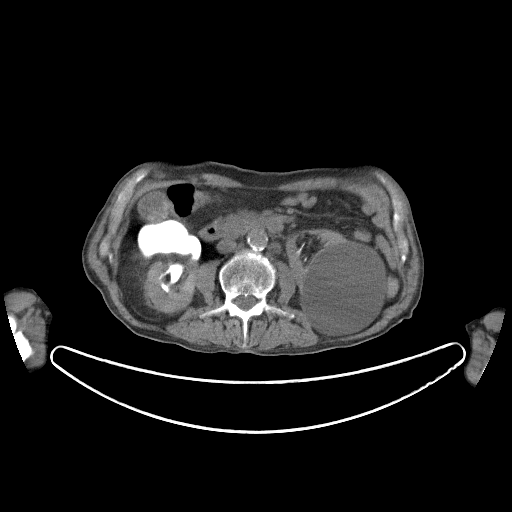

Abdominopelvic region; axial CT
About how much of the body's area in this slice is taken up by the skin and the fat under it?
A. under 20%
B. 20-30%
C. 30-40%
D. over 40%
A. under 20%
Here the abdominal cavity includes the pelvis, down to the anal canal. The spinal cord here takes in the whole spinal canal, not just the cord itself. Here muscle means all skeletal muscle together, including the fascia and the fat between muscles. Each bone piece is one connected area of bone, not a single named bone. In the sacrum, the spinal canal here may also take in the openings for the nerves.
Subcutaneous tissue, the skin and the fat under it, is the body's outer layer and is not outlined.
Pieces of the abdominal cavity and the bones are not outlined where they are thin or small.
{"spinal_cord":[[[239,296],[243,296],[244,297],[247,297],[248,296],[252,296],[253,297],[254,297],[256,299],[256,302],[250,308],[249,308],[248,309],[242,309],[241,308],[240,308],[234,302],[234,299],[235,298],[236,298],[237,297],[238,297]]],"abdominal_cavity":[[[178,182],[336,189],[368,198],[382,211],[402,281],[400,295],[365,329],[322,336],[289,304],[296,282],[288,266],[242,249],[225,261],[218,270],[223,300],[216,283],[218,261],[212,259],[196,270],[194,284],[203,304],[163,325],[136,317],[116,279],[130,209],[145,191]],[[277,276],[277,284],[276,285],[276,290],[275,291],[275,292],[274,293],[274,294],[268,300],[267,300],[267,296],[268,295],[268,294],[274,288],[274,287],[276,285],[276,282],[277,281]]],"torso":[[[153,159],[180,162],[205,159],[277,171],[361,163],[375,164],[385,169],[407,195],[424,256],[422,292],[412,316],[386,333],[362,343],[300,355],[204,353],[133,333],[111,313],[99,291],[87,279],[81,262],[81,249],[87,231],[117,180],[135,165]]],"right_arm":[[[15,286],[25,286],[33,288],[49,307],[52,313],[52,321],[50,324],[49,334],[48,335],[47,360],[42,368],[32,373],[30,373],[28,371],[16,345],[16,342],[14,339],[9,323],[8,312],[6,309],[6,304],[4,301],[4,292],[6,290]]],"left_arm":[[[496,306],[503,306],[505,308],[505,311],[503,314],[495,344],[493,349],[491,350],[487,364],[479,377],[477,383],[473,387],[465,380],[463,375],[464,360],[466,359],[466,356],[469,351],[469,340],[464,326],[469,321],[485,314],[490,309]]],"muscle":[{"outer":[[150,165],[156,166],[169,173],[176,173],[177,174],[215,173],[230,178],[233,178],[242,183],[255,184],[259,186],[274,186],[313,176],[330,176],[331,177],[358,176],[370,170],[375,170],[382,173],[377,172],[376,173],[376,177],[385,186],[390,196],[390,201],[392,206],[392,229],[397,237],[397,245],[400,250],[400,262],[403,264],[406,261],[409,251],[408,240],[403,231],[403,222],[405,218],[404,204],[400,199],[395,189],[389,183],[385,175],[393,182],[403,196],[407,207],[408,220],[417,250],[417,255],[419,262],[417,286],[409,305],[403,312],[391,319],[384,327],[371,334],[354,339],[318,342],[313,345],[301,348],[277,348],[270,350],[258,350],[253,348],[249,348],[248,349],[226,348],[223,346],[217,346],[214,344],[198,345],[194,343],[190,343],[183,339],[174,337],[160,331],[142,328],[131,324],[118,311],[117,307],[114,304],[109,295],[107,288],[90,267],[88,262],[87,254],[91,239],[97,229],[103,214],[107,207],[111,203],[112,197],[118,186],[123,180],[135,171],[140,168]],"holes":[[[178,182],[368,198],[382,211],[400,295],[365,329],[322,336],[289,304],[294,274],[276,260],[267,302],[294,317],[252,316],[243,347],[238,316],[199,317],[224,301],[212,259],[196,270],[203,304],[163,325],[136,317],[116,279],[130,209],[145,191]],[[142,169],[145,169],[147,170],[148,172],[147,174],[141,180],[136,183],[133,187],[130,196],[125,204],[123,212],[121,215],[119,223],[115,230],[115,232],[114,233],[111,233],[109,230],[110,217],[112,210],[116,202],[118,194],[136,172]],[[106,237],[109,242],[109,246],[108,247],[108,252],[109,253],[111,253],[112,254],[112,261],[111,262],[110,262],[109,261],[109,259],[108,258],[108,256],[107,255],[101,255],[100,254],[100,250],[99,249],[100,248],[100,243],[102,241],[102,240]]]},[[15,291],[29,292],[37,297],[47,324],[43,341],[45,346],[45,359],[39,365],[28,369],[27,369],[24,362],[34,353],[34,349],[29,339],[20,329],[18,329],[17,321],[12,315],[8,313],[6,309],[6,304],[4,301],[4,295],[5,294]],[[496,310],[502,310],[504,311],[500,328],[493,349],[491,350],[491,353],[489,355],[489,357],[483,364],[479,373],[480,376],[477,381],[477,383],[475,383],[471,381],[467,376],[467,367],[473,352],[472,332],[484,317]]],"bones":[{"outer":[[242,250],[259,253],[274,266],[276,281],[266,300],[269,304],[294,314],[293,318],[272,312],[252,316],[247,322],[245,347],[242,346],[242,320],[238,316],[230,316],[226,311],[199,317],[201,313],[223,303],[224,294],[218,280],[219,270],[225,262]],"hole":[[239,296],[243,296],[244,297],[247,297],[248,296],[252,296],[253,297],[254,297],[256,299],[256,302],[250,308],[249,308],[248,309],[242,309],[241,308],[240,308],[234,302],[234,299],[235,298],[236,298],[237,297],[238,297]]},[[377,173],[384,175],[388,183],[394,189],[399,199],[403,204],[404,218],[402,222],[402,231],[407,240],[407,245],[408,246],[406,259],[403,263],[401,262],[401,250],[398,245],[398,237],[393,229],[393,206],[391,201],[391,196],[386,186],[377,177]],[[142,169],[145,169],[147,170],[148,172],[147,174],[141,180],[136,183],[133,187],[130,196],[125,204],[123,212],[121,215],[119,223],[115,230],[115,232],[114,233],[111,233],[109,230],[110,217],[112,210],[116,202],[118,194],[136,172]],[[8,314],[12,316],[15,319],[16,321],[16,325],[17,326],[16,327],[17,329],[18,330],[20,330],[28,339],[33,349],[33,353],[24,361],[23,361],[22,357],[16,345],[16,342],[14,339],[14,337],[10,327],[9,319],[8,318]],[[106,237],[109,242],[109,246],[108,247],[108,252],[109,253],[111,253],[112,254],[112,261],[111,262],[110,262],[109,261],[109,259],[108,258],[108,256],[107,255],[101,255],[100,254],[100,250],[99,249],[100,248],[100,243],[102,241],[102,240]]]}